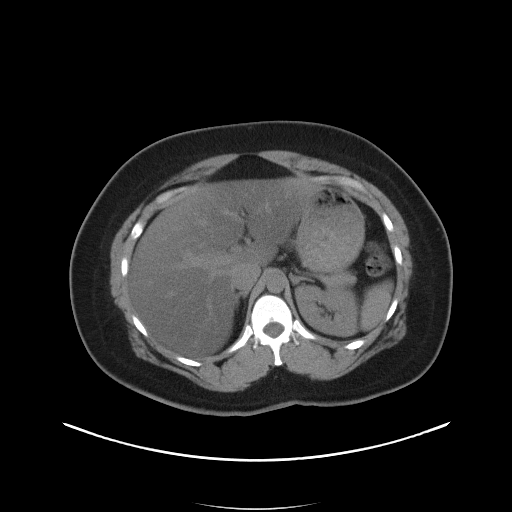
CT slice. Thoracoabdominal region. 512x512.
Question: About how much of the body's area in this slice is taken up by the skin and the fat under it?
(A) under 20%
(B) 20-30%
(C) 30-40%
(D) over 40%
Answer: (C) 30-40%
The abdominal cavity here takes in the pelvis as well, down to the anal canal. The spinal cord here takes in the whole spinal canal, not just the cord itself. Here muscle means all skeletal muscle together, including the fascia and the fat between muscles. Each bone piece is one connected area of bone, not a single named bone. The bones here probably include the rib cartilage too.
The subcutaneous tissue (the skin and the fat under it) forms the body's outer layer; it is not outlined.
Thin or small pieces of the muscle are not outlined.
{"muscle":[{"outer":[[262,150],[289,150],[337,164],[372,183],[395,206],[408,231],[412,259],[406,333],[396,344],[330,380],[311,379],[281,366],[281,346],[291,340],[298,345],[298,336],[349,341],[343,346],[348,350],[361,347],[363,337],[396,311],[397,265],[403,263],[403,256],[397,244],[391,246],[387,231],[393,232],[394,225],[385,212],[380,216],[365,201],[261,156],[242,155],[158,209],[145,223],[138,219],[129,232],[135,241],[129,261],[125,255],[120,260],[135,312],[133,325],[177,361],[199,367],[199,360],[225,350],[233,353],[251,337],[254,349],[270,348],[275,366],[265,376],[241,391],[214,391],[132,350],[124,314],[110,292],[110,249],[127,217],[173,175],[211,156]],"holes":[[[323,176],[347,176],[348,177],[350,177],[360,182],[366,189],[366,192],[361,192],[356,189],[354,189],[348,186],[339,185],[338,184],[336,184],[332,182],[328,182],[327,181],[325,181],[321,178],[321,177]],[[180,187],[183,187],[183,188],[177,193],[176,193],[175,195],[174,195],[166,201],[162,203],[160,203],[159,204],[154,203],[154,200],[155,198],[159,194],[167,190],[171,190],[172,189],[175,189],[176,188],[179,188]]]}],"bones":[{"outer":[[263,294],[282,298],[292,316],[317,335],[316,339],[298,335],[298,344],[291,339],[283,343],[279,348],[282,361],[279,366],[274,364],[274,354],[268,345],[253,347],[252,336],[233,352],[226,351],[243,333],[244,326],[250,322],[255,301]],"hole":[[272,322],[274,322],[275,323],[278,323],[279,324],[280,324],[283,327],[283,329],[282,330],[282,331],[278,335],[277,335],[276,336],[275,336],[274,337],[273,337],[272,336],[270,336],[268,334],[267,334],[264,331],[264,328],[269,323],[271,323]]},[[323,176],[347,176],[348,177],[350,177],[360,182],[366,189],[366,192],[361,192],[356,189],[354,189],[348,186],[339,185],[338,184],[336,184],[332,182],[328,182],[327,181],[325,181],[321,178],[321,177]],[[180,187],[183,187],[183,188],[177,193],[176,193],[175,195],[174,195],[166,201],[162,203],[160,203],[159,204],[154,203],[154,200],[155,198],[159,194],[167,190],[171,190],[172,189],[175,189],[176,188],[179,188]],[[138,220],[141,220],[142,221],[143,221],[143,222],[144,223],[144,226],[143,227],[143,229],[142,230],[142,231],[141,232],[140,235],[135,240],[133,240],[130,238],[130,232],[131,231],[131,230],[132,229],[132,228],[133,227],[134,224]],[[133,314],[134,314],[140,320],[140,321],[143,324],[143,325],[145,327],[145,328],[146,329],[146,330],[148,333],[148,336],[145,336],[144,335],[143,335],[143,334],[142,333],[141,333],[138,330],[138,329],[134,325],[134,324],[132,321],[132,315]],[[177,355],[179,356],[182,356],[186,358],[189,358],[190,359],[192,359],[196,361],[199,361],[201,363],[201,365],[199,366],[194,366],[193,365],[188,365],[187,364],[185,364],[176,359],[176,356]],[[360,338],[362,338],[365,341],[364,342],[364,343],[361,346],[360,346],[358,348],[356,348],[355,349],[348,349],[347,348],[345,348],[344,347],[344,346],[346,344],[347,344],[349,342],[350,342],[353,340],[355,340],[356,339],[359,339]],[[394,298],[396,298],[397,299],[397,306],[395,309],[395,311],[393,313],[393,314],[391,316],[391,317],[387,321],[385,321],[384,320],[384,318],[385,317],[385,316],[386,315],[386,314],[387,313],[387,312],[390,307],[390,305],[391,304],[391,303]],[[395,245],[397,245],[398,246],[398,247],[400,249],[400,251],[401,252],[401,255],[402,256],[402,263],[400,265],[399,265],[396,263],[396,262],[395,261],[395,259],[394,258],[394,254],[393,253],[393,250],[392,249],[392,247]],[[382,213],[385,213],[388,216],[388,217],[390,219],[390,220],[391,221],[391,222],[393,225],[393,231],[388,231],[386,229],[386,228],[385,227],[385,226],[384,225],[384,224],[382,221],[382,219],[381,218],[381,215],[382,214]],[[125,256],[128,259],[128,271],[127,272],[127,275],[126,276],[123,276],[122,275],[122,274],[121,273],[121,260],[122,259],[122,258],[123,257],[124,257]]],"spinal_cord":[[[272,322],[274,322],[275,323],[278,323],[279,324],[280,324],[283,327],[283,329],[282,330],[282,331],[278,335],[277,335],[276,336],[275,336],[274,337],[273,337],[272,336],[270,336],[268,334],[267,334],[264,331],[264,328],[269,323],[271,323]]],"torso":[[[272,119],[321,122],[357,133],[392,157],[425,194],[445,228],[453,267],[450,318],[435,361],[412,383],[359,403],[331,407],[294,404],[248,416],[185,411],[125,387],[92,360],[72,313],[69,262],[76,234],[86,213],[113,173],[150,143],[195,128]]],"mediastinum":[[[273,270],[276,270],[280,272],[280,273],[283,276],[284,278],[284,290],[285,291],[285,295],[284,297],[281,297],[279,295],[277,295],[276,294],[273,294],[272,293],[263,293],[260,295],[260,293],[261,292],[261,289],[265,282],[265,276],[266,274]]],"abdominal_cavity":[[[246,155],[342,191],[379,215],[396,264],[396,283],[383,320],[369,333],[350,341],[309,330],[293,316],[283,298],[285,278],[273,269],[264,276],[249,322],[247,318],[239,337],[223,351],[196,360],[165,349],[149,334],[128,291],[136,240],[158,210]]]}